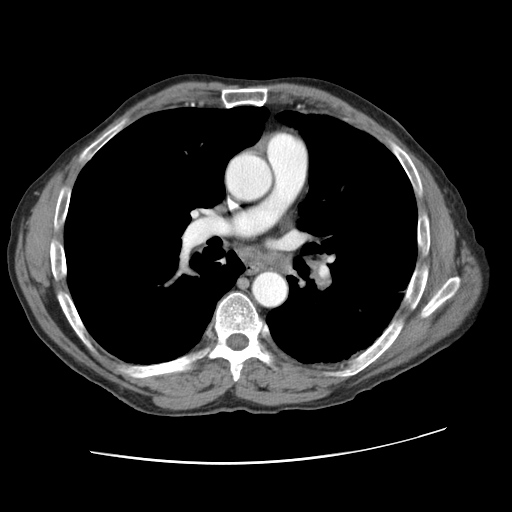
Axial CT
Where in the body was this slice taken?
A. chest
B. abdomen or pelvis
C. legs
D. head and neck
A. chest
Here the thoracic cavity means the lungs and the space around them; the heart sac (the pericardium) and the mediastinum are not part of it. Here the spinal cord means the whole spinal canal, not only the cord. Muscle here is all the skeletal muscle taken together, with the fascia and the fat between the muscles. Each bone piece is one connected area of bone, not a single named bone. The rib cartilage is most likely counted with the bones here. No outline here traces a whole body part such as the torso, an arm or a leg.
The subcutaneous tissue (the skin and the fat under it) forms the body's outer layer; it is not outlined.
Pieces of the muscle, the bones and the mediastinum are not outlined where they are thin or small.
{"pericardium":[[[278,126],[285,126],[295,130],[303,140],[307,150],[308,159],[307,181],[297,204],[289,213],[286,220],[276,230],[254,240],[238,238],[236,237],[234,220],[226,202],[227,193],[224,183],[226,166],[231,158],[236,154],[246,148],[254,146],[268,129]]],"thoracic_cavity":[[[189,104],[268,110],[258,140],[227,162],[225,195],[216,205],[221,225],[215,234],[224,252],[232,251],[243,269],[216,303],[201,340],[190,351],[157,363],[128,363],[92,337],[70,294],[63,243],[72,188],[83,166],[129,124],[148,113]],[[283,111],[330,114],[368,133],[398,160],[415,196],[417,256],[401,302],[390,322],[370,345],[340,362],[297,360],[275,344],[265,320],[288,299],[287,276],[292,273],[293,261],[305,240],[297,227],[298,206],[310,187],[307,146],[295,127],[277,118]]],"muscle":[{"outer":[[183,81],[238,85],[219,91],[221,106],[170,105],[130,123],[127,116],[122,117],[81,151],[77,161],[82,167],[72,187],[65,184],[58,192],[52,224],[55,232],[63,228],[63,242],[51,239],[49,260],[54,280],[66,279],[69,292],[59,289],[55,296],[69,325],[91,352],[98,353],[92,338],[124,362],[115,364],[120,374],[136,379],[187,371],[205,357],[222,358],[236,382],[250,358],[278,369],[270,349],[274,343],[304,364],[346,361],[322,374],[350,377],[395,341],[405,322],[402,316],[394,317],[396,312],[401,303],[410,311],[417,307],[429,275],[428,264],[417,261],[418,252],[422,257],[429,254],[431,243],[428,214],[417,207],[416,197],[423,196],[419,172],[393,140],[389,138],[386,146],[346,116],[301,101],[268,102],[267,85],[250,86],[280,82],[313,86],[344,100],[391,131],[429,170],[481,270],[480,293],[460,325],[409,360],[354,385],[321,398],[271,406],[227,390],[195,408],[163,408],[62,349],[38,323],[16,277],[14,256],[21,222],[53,174],[101,131],[140,100]],"hole":[[454,276],[458,276],[460,278],[460,285],[458,289],[456,291],[456,292],[450,298],[447,299],[431,314],[430,314],[426,317],[421,317],[420,313],[421,312],[422,308],[428,302],[428,301],[433,296],[433,295],[441,287],[441,286],[450,277],[453,277]]}],"spinal_cord":[[[233,334],[242,334],[243,335],[244,335],[247,338],[247,339],[248,340],[248,342],[247,343],[247,345],[245,347],[244,347],[243,348],[242,348],[241,349],[233,349],[232,348],[231,348],[227,344],[227,339],[231,335],[232,335]]],"bones":[{"outer":[[232,291],[245,294],[265,321],[273,341],[269,349],[273,354],[276,370],[258,358],[250,357],[243,362],[239,378],[234,381],[226,359],[210,359],[205,356],[183,371],[142,378],[118,371],[116,364],[157,364],[202,347],[207,341],[204,333],[217,303]],"hole":[[233,334],[242,334],[243,335],[244,335],[247,338],[247,339],[248,340],[248,342],[247,343],[247,345],[245,347],[244,347],[243,348],[242,348],[241,349],[233,349],[232,348],[231,348],[227,344],[227,339],[231,335],[232,335]]},[[396,317],[402,317],[403,318],[404,321],[403,326],[394,341],[374,361],[354,375],[351,375],[350,376],[330,376],[323,374],[326,371],[337,370],[342,365],[345,366],[347,364],[347,361],[348,360],[356,357],[370,346],[381,335],[391,322],[392,319]],[[262,86],[267,86],[269,88],[268,90],[269,98],[268,101],[264,105],[256,106],[250,104],[243,104],[242,105],[236,105],[229,108],[226,108],[222,106],[222,104],[220,102],[219,95],[220,94],[220,91],[223,88],[261,87]],[[59,290],[62,290],[69,293],[71,297],[71,299],[75,306],[75,308],[79,315],[79,317],[81,319],[85,328],[87,330],[91,338],[91,342],[96,349],[97,353],[95,353],[91,351],[85,345],[70,325],[60,306],[60,304],[56,296],[56,294]],[[417,262],[421,265],[422,264],[427,264],[428,266],[428,275],[427,276],[427,280],[425,284],[425,287],[416,307],[413,310],[410,310],[407,305],[402,304],[402,300],[405,293],[405,290],[410,281],[410,279],[412,276],[412,274],[414,271],[414,269]],[[454,276],[458,276],[460,278],[460,285],[458,289],[456,291],[456,292],[450,298],[447,299],[431,314],[430,314],[426,317],[421,317],[420,313],[421,312],[422,308],[428,302],[428,301],[433,296],[433,295],[441,287],[441,286],[450,277],[453,277]],[[389,139],[393,141],[404,151],[405,151],[414,164],[418,172],[418,174],[419,175],[419,177],[421,181],[421,184],[422,185],[422,196],[421,197],[417,197],[415,195],[415,193],[414,192],[412,184],[405,170],[403,168],[399,160],[388,147],[387,141]],[[124,117],[127,117],[129,119],[129,123],[116,134],[115,134],[110,139],[109,139],[91,157],[91,158],[84,164],[84,165],[82,165],[82,164],[78,161],[78,158],[82,151],[92,142],[93,142],[106,131],[107,131],[110,128],[115,125],[122,118]],[[53,238],[58,240],[61,243],[62,243],[63,245],[64,255],[65,256],[65,263],[66,264],[66,270],[67,271],[66,277],[65,278],[61,278],[57,281],[55,280],[53,276],[53,274],[52,273],[52,269],[51,268],[51,261],[50,260],[50,244]],[[420,211],[421,212],[423,211],[426,212],[428,219],[429,220],[429,236],[430,237],[430,243],[429,244],[429,251],[428,252],[428,254],[426,256],[422,256],[421,253],[419,251],[418,251],[418,246],[417,245],[417,225],[418,224],[418,212]],[[65,185],[69,186],[71,188],[71,193],[70,194],[70,198],[69,199],[67,213],[65,217],[65,221],[64,222],[63,227],[55,231],[54,230],[54,225],[53,224],[53,222],[54,221],[54,216],[55,215],[55,209],[56,208],[57,199],[61,188]]],"mediastinum":[[[308,168],[309,187],[297,206],[296,221],[304,240],[292,261],[291,273],[286,276],[287,299],[263,319],[245,293],[229,291],[244,269],[232,250],[225,252],[223,241],[216,234],[222,225],[217,205],[226,193],[235,237],[258,240],[287,220],[302,196]],[[294,102],[301,102],[303,104],[313,106],[325,112],[304,113],[297,110],[280,111],[276,115],[276,118],[283,124],[288,126],[278,125],[270,127],[263,133],[260,138],[265,127],[265,122],[269,116],[269,110],[265,105],[268,103],[293,103]]]}